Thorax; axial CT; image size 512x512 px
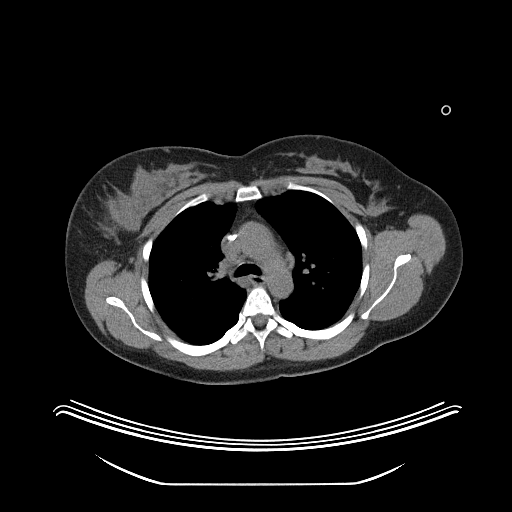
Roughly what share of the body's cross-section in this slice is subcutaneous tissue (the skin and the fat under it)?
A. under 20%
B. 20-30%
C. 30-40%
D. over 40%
Answer: C. 30-40%
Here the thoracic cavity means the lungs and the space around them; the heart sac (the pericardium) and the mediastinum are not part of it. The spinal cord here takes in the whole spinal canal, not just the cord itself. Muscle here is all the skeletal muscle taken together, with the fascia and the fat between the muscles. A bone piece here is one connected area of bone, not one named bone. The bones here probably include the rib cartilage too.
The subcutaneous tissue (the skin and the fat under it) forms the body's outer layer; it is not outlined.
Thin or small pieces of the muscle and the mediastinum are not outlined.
{"spinal_cord":[[[257,314],[262,314],[263,315],[265,315],[267,317],[267,319],[266,320],[266,322],[265,323],[265,324],[264,325],[264,327],[263,328],[257,328],[256,327],[255,327],[254,326],[254,324],[253,323],[253,319],[252,318],[254,316],[255,316]]],"mediastinum":[[[250,200],[256,200],[255,209],[279,234],[294,259],[291,272],[293,290],[287,298],[281,299],[277,305],[262,285],[252,287],[247,293],[244,288],[232,281],[224,271],[224,255],[221,251],[221,240],[229,230],[234,220],[237,209],[236,203]]],"torso":[[[302,133],[331,135],[365,145],[447,202],[459,227],[463,264],[455,288],[435,317],[414,333],[342,366],[246,384],[207,385],[168,378],[126,362],[99,345],[75,313],[64,268],[68,217],[88,179],[113,158],[144,147],[181,145],[240,155],[266,141]]],"bones":[{"outer":[[256,286],[266,290],[283,318],[303,329],[327,328],[353,311],[351,322],[336,335],[312,339],[294,334],[288,338],[272,330],[261,350],[249,332],[234,344],[229,342],[198,356],[181,352],[165,339],[168,335],[193,345],[216,341],[237,322],[247,294]],"hole":[[257,314],[262,314],[263,315],[265,315],[267,317],[267,319],[266,320],[266,322],[265,323],[265,324],[264,325],[264,327],[263,328],[257,328],[256,327],[255,327],[254,326],[254,324],[253,323],[253,319],[252,318],[254,316],[255,316]]},[[406,253],[409,253],[411,255],[411,258],[407,262],[400,265],[397,268],[396,270],[397,273],[396,279],[392,287],[387,294],[370,311],[368,317],[366,319],[362,319],[360,316],[383,293],[390,283],[393,277],[393,266],[396,257],[400,254],[405,254]],[[108,296],[115,296],[121,299],[126,307],[132,313],[135,321],[142,328],[148,331],[154,332],[158,334],[162,337],[162,339],[159,341],[153,339],[151,337],[144,334],[140,331],[134,326],[129,316],[120,307],[114,305],[111,305],[106,302],[106,298]],[[243,185],[255,185],[257,187],[258,187],[258,188],[260,190],[262,197],[258,199],[250,199],[249,200],[244,200],[243,201],[238,201],[236,202],[234,198],[235,197],[235,194],[236,193],[236,191],[237,189],[240,186],[242,186]],[[287,181],[292,181],[300,185],[312,187],[314,189],[325,194],[328,197],[329,197],[332,200],[333,204],[323,197],[313,192],[310,192],[309,191],[306,191],[305,190],[300,190],[299,189],[286,189],[284,186],[284,183]],[[207,191],[210,191],[212,193],[212,196],[208,200],[206,201],[203,201],[198,204],[196,204],[195,205],[190,206],[184,209],[181,212],[180,212],[174,217],[174,214],[189,200],[199,195],[201,193],[203,192],[206,192]],[[142,276],[143,276],[147,281],[147,283],[148,284],[148,288],[149,289],[149,291],[150,292],[150,294],[151,295],[151,297],[155,307],[155,310],[154,312],[152,312],[149,309],[143,297],[143,294],[141,290],[141,284],[140,283],[140,280]],[[365,263],[368,263],[369,264],[369,277],[368,278],[368,281],[367,282],[367,286],[364,291],[364,293],[362,295],[362,296],[360,298],[359,298],[358,297],[358,290],[359,289],[359,286],[360,285],[360,282],[361,281],[361,277],[362,276],[363,266]],[[357,222],[360,223],[362,225],[362,226],[365,231],[365,235],[366,236],[366,238],[367,239],[367,248],[365,250],[362,249],[362,247],[361,246],[361,243],[360,242],[360,240],[359,239],[359,238],[358,237],[358,235],[354,228],[354,225]],[[150,237],[151,237],[153,239],[153,242],[152,243],[152,245],[151,246],[151,250],[150,251],[150,253],[149,254],[149,259],[148,260],[148,262],[146,262],[143,259],[143,246],[144,245],[144,243],[146,241],[146,240],[148,238],[149,238]]],"thoracic_cavity":[[[209,200],[218,205],[235,203],[236,209],[233,220],[219,245],[223,255],[223,271],[232,282],[245,290],[246,297],[238,312],[236,322],[219,338],[206,344],[193,344],[182,340],[166,324],[156,309],[148,283],[148,263],[154,241],[172,219],[184,210]],[[285,190],[299,190],[313,193],[332,204],[353,227],[360,243],[362,270],[357,292],[343,317],[324,328],[303,328],[283,317],[278,310],[279,302],[287,299],[294,290],[292,272],[295,259],[280,234],[258,212],[256,209],[256,202],[266,196],[279,195]]],"muscle":[{"outer":[[280,175],[319,176],[340,182],[367,209],[361,221],[373,235],[385,228],[405,229],[407,219],[415,213],[431,215],[440,223],[446,239],[444,254],[433,268],[419,300],[406,313],[378,321],[351,349],[332,358],[293,362],[266,359],[230,371],[194,368],[116,343],[101,332],[84,298],[86,276],[92,267],[109,258],[123,266],[135,252],[139,244],[136,238],[147,222],[176,194],[205,182],[229,180],[243,184],[236,189],[234,197],[212,200],[210,190],[201,192],[173,214],[154,240],[150,236],[143,243],[142,259],[148,264],[148,276],[147,280],[142,275],[139,280],[142,297],[148,309],[152,313],[156,310],[179,338],[167,334],[164,339],[181,353],[198,357],[229,343],[234,345],[249,333],[263,351],[272,331],[288,339],[294,335],[312,340],[328,340],[342,332],[355,317],[353,310],[344,316],[356,294],[360,299],[368,286],[370,264],[363,265],[362,258],[362,250],[368,248],[366,231],[358,221],[353,226],[329,196],[312,186],[287,180],[283,183],[284,190],[262,193],[255,184],[248,184],[255,179]],"holes":[[[406,253],[409,253],[411,255],[411,258],[407,262],[400,265],[397,268],[396,270],[397,273],[396,279],[392,287],[387,294],[370,311],[368,317],[366,319],[362,319],[360,316],[383,293],[390,283],[393,277],[393,266],[396,257],[400,254],[405,254]],[[108,296],[115,296],[121,299],[126,307],[132,313],[135,321],[142,328],[148,331],[154,332],[158,334],[162,337],[162,339],[159,341],[153,339],[151,337],[144,334],[140,331],[134,326],[129,316],[120,307],[114,305],[111,305],[106,302],[106,298]]]}]}